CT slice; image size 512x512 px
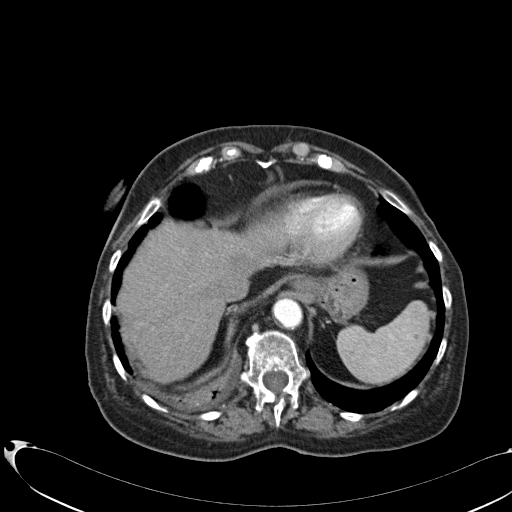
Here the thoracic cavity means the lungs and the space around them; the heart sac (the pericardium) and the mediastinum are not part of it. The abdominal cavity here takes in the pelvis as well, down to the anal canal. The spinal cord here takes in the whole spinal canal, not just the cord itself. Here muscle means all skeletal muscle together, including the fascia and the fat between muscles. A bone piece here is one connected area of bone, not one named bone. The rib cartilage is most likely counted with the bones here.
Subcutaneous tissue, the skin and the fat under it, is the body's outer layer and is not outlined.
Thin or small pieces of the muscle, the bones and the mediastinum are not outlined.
Outlines (x, y in pixels):
abdominal cavity: 164 202; 184 219; 238 214; 260 246; 313 269; 354 254; 413 250; 436 302; 427 350; 388 384; 350 387; 312 360; 306 306; 292 296; 262 298; 240 315; 237 345; 223 369; 182 397; 148 393; 130 375; 112 312; 123 270; 161 220
mediastinum 1: 238 160; 254 161; 262 168; 277 160; 316 165; 365 182; 378 194; 377 213; 408 248; 356 254; 364 247; 368 233; 368 206; 357 191; 327 179; 303 178; 275 184; 238 213; 203 214; 204 197; 196 186; 184 180; 205 173; 218 163
mediastinum 2: 277 297; 292 297; 305 306; 305 312; 308 318; 309 350; 301 353; 300 355; 294 339; 287 333; 279 329; 266 329; 259 331; 254 328; 249 334; 245 336; 240 335; 237 339; 234 333; 235 327; 241 315; 256 306; 262 299; 272 299
spinal cord: 271 371; 273 371; 274 372; 276 372; 277 371; 282 371; 284 372; 287 375; 287 382; 286 384; 281 389; 281 391; 279 393; 276 393; 274 391; 266 387; 263 382; 263 376; 265 374; 265 373; 267 372; 270 372
muscle 1: 146 203; 125 249; 123 251; 117 248; 109 258; 108 271; 112 274; 110 296; 102 302; 101 318; 103 324; 110 327; 115 351; 111 354; 111 360; 116 372; 125 382; 128 374; 147 392; 143 392; 140 397; 150 408; 167 413; 168 409; 161 403; 189 414; 199 413; 197 417; 201 420; 216 420; 222 415; 222 411; 215 408; 236 389; 240 381; 251 388; 255 400; 254 409; 257 412; 262 411; 265 403; 273 404; 274 425; 278 428; 287 403; 286 396; 296 409; 299 406; 299 389; 308 379; 323 399; 342 410; 338 415; 347 421; 357 422; 364 414; 377 412; 388 406; 391 412; 403 408; 418 395; 418 384; 432 364; 437 366; 440 363; 448 344; 448 339; 443 336; 445 312; 450 309; 453 297; 450 288; 442 284; 439 264; 443 261; 443 255; 440 248; 449 266; 454 309; 453 357; 445 386; 427 404; 399 421; 352 437; 317 438; 279 428; 243 441; 219 442; 190 436; 142 413; 127 409; 113 397; 106 386; 100 359; 97 301; 112 243
muscle 2: 288 140; 301 141; 297 141; 291 146; 291 152; 301 162; 306 160; 307 161; 307 163; 308 164; 315 164; 305 164; 304 163; 293 163; 278 160; 275 157; 260 157; 255 161; 238 159; 229 163; 221 163; 232 161; 242 154; 237 146; 226 145; 219 150; 219 155; 216 158; 212 154; 206 154; 190 163; 185 171; 191 176; 178 183; 163 203; 163 198; 158 195; 148 201; 159 185; 180 164; 207 147; 226 141; 243 141; 267 150
muscle 3: 305 142; 339 154; 353 164; 363 169; 373 176; 376 180; 379 180; 392 190; 386 187; 382 187; 378 190; 378 193; 376 192; 365 181; 349 173; 345 173; 347 171; 347 168; 340 160; 324 152; 317 152; 311 154; 311 149; 309 145
muscle 4: 395 193; 399 195; 424 221; 427 227; 433 233; 434 236; 436 238; 438 242; 438 245; 439 247; 438 245; 431 239; 426 240; 426 239; 424 237; 423 234; 421 232; 419 228; 409 217; 409 216; 410 216; 412 214; 412 211; 411 209
torso: 246 124; 310 126; 361 144; 408 181; 435 223; 461 269; 469 317; 460 402; 436 436; 341 457; 274 447; 229 461; 200 461; 139 445; 103 417; 88 386; 87 305; 98 258; 125 199; 106 215; 103 202; 121 178; 129 187; 174 142
bones 1: 254 329; 259 332; 279 330; 291 337; 301 363; 310 373; 309 378; 298 389; 296 408; 290 403; 289 396; 285 396; 286 403; 278 427; 275 425; 274 404; 265 402; 261 411; 257 411; 252 388; 239 377; 248 368; 248 347; 244 339, around a hole outlined by 271 371; 273 371; 274 372; 276 372; 277 371; 282 371; 284 372; 287 375; 287 382; 286 384; 281 389; 281 391; 279 393; 276 393; 274 391; 266 387; 263 382; 263 376; 265 374; 265 373; 267 372; 270 372
bones 2: 297 142; 306 143; 310 149; 311 155; 314 155; 317 153; 324 153; 334 159; 340 161; 346 168; 346 171; 344 173; 343 172; 336 172; 329 169; 322 168; 315 163; 308 163; 308 161; 306 159; 301 161; 292 152; 291 149; 292 146
bones 3: 226 146; 227 147; 237 147; 241 151; 241 154; 238 157; 236 157; 232 160; 225 160; 222 162; 217 162; 209 170; 202 173; 194 175; 190 175; 187 173; 186 169; 188 166; 200 157; 206 155; 212 155; 216 159; 220 155; 220 150
bones 4: 156 196; 158 196; 162 198; 162 204; 161 206; 154 213; 153 213; 144 223; 140 225; 136 229; 135 228; 135 225; 137 221; 139 219; 147 203; 153 197; 155 197
bones 5: 382 188; 386 188; 392 191; 410 209; 411 211; 411 214; 408 216; 405 213; 404 213; 402 211; 401 211; 399 209; 398 209; 396 207; 392 205; 389 202; 388 202; 381 195; 380 195; 379 193; 379 190
bones 6: 416 387; 419 391; 417 395; 409 403; 408 403; 406 405; 405 405; 403 407; 399 409; 396 409; 392 411; 390 410; 389 408; 389 406; 390 405; 391 405; 393 403; 398 403; 411 390; 412 390
bones 7: 106 298; 109 298; 110 300; 110 302; 113 306; 112 308; 112 311; 111 312; 111 316; 110 317; 110 320; 109 321; 109 325; 108 326; 106 326; 104 324; 104 322; 102 318; 102 305; 103 304; 103 302; 104 300
bones 8: 143 393; 146 393; 148 395; 149 395; 157 402; 158 402; 162 406; 165 407; 168 411; 167 412; 163 412; 162 411; 160 411; 159 410; 154 409; 153 408; 150 407; 148 405; 147 405; 144 402; 144 401; 141 397; 141 395
bones 9: 114 352; 116 353; 117 356; 119 358; 122 364; 122 366; 124 368; 125 371; 127 373; 126 374; 126 377; 127 379; 125 381; 123 380; 122 378; 119 375; 119 374; 117 372; 114 366; 114 364; 112 360; 112 354
bones 10: 443 337; 445 337; 447 339; 447 344; 446 345; 446 347; 445 348; 445 351; 444 352; 439 363; 437 365; 434 365; 433 364; 433 361; 436 357; 436 355; 437 354; 437 353; 438 352; 438 350; 439 349; 439 346; 441 343; 441 340
bones 11: 117 249; 120 249; 122 251; 122 253; 121 254; 121 255; 120 256; 120 257; 118 260; 118 262; 116 265; 116 267; 115 268; 114 271; 112 273; 111 273; 109 271; 109 262; 110 261; 110 258; 111 257; 112 254
bones 12: 429 240; 431 240; 433 242; 434 242; 437 245; 437 246; 439 248; 439 249; 441 252; 441 254; 442 255; 442 261; 440 263; 439 263; 438 262; 437 259; 433 254; 433 253; 432 252; 432 251; 427 242; 427 241; 428 241
pericardium: 303 179; 320 179; 335 182; 357 192; 365 201; 369 212; 369 223; 363 247; 353 255; 350 255; 345 261; 321 268; 313 268; 303 263; 284 259; 279 253; 260 245; 256 232; 253 229; 250 229; 244 223; 239 214; 268 188
thoracic cavity 1: 379 194; 413 222; 438 263; 444 326; 435 357; 417 385; 400 400; 362 413; 343 410; 323 398; 314 387; 301 354; 307 351; 317 369; 330 380; 370 390; 388 385; 409 372; 428 350; 436 330; 436 296; 422 257; 404 245; 378 213
thoracic cavity 2: 240 336; 244 337; 243 343; 247 347; 243 370; 238 376; 239 380; 235 389; 214 409; 189 413; 159 402; 149 394; 158 399; 162 398; 165 400; 187 396; 196 386; 205 382; 224 369; 238 345; 238 339
thoracic cavity 3: 183 181; 184 183; 190 184; 196 187; 204 199; 205 209; 203 213; 196 217; 184 218; 183 217; 174 215; 170 211; 169 206; 167 205; 166 203; 166 199; 167 197; 170 195; 171 191; 177 186; 178 184; 181 182; 182 183
thoracic cavity 4: 157 211; 161 215; 160 220; 153 227; 151 227; 147 230; 145 235; 136 246; 131 255; 131 257; 122 270; 121 280; 115 298; 115 304; 113 305; 110 299; 112 277; 113 273; 117 267; 119 260; 127 247; 128 241; 136 230; 144 224
thoracic cavity 5: 112 314; 113 314; 116 317; 116 319; 117 320; 119 337; 123 347; 124 354; 127 359; 128 364; 131 369; 131 374; 129 374; 126 371; 114 347; 114 344; 112 339; 112 334; 111 333; 111 327; 110 326; 110 321; 111 320